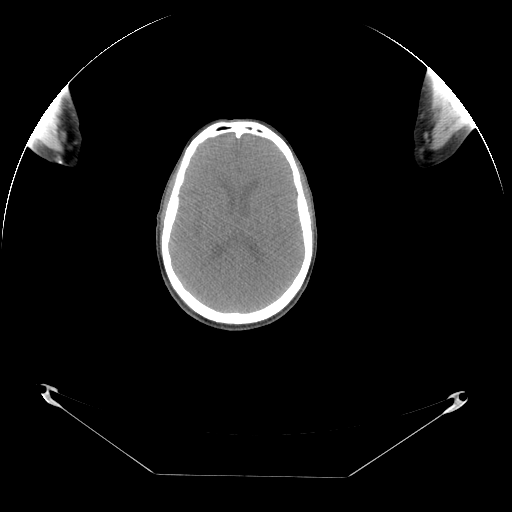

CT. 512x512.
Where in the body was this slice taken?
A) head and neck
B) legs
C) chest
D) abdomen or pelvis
Answer: A) head and neck
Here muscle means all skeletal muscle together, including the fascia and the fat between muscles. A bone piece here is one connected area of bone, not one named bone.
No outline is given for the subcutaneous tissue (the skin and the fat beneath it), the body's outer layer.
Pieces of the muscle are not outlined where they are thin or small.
{"bones":[{"outer":[[220,120],[253,120],[265,125],[285,141],[295,158],[311,219],[312,257],[301,287],[289,303],[280,311],[264,320],[253,323],[227,324],[216,322],[192,310],[172,287],[164,268],[160,249],[160,236],[163,229],[165,210],[184,150],[199,132],[210,124]],"hole":[[228,133],[233,133],[237,139],[244,134],[250,134],[269,140],[283,155],[289,166],[296,193],[296,211],[303,247],[299,268],[290,283],[275,299],[250,311],[222,311],[198,299],[177,274],[169,246],[180,205],[181,188],[192,157],[198,147],[206,140]]},[[450,90],[451,90],[455,94],[455,95],[459,99],[459,100],[461,102],[461,103],[464,106],[464,107],[465,108],[459,108],[458,107],[457,107],[456,106],[455,106],[455,105],[451,101],[451,100],[450,99]]],"brain":[[[228,133],[233,133],[237,139],[244,134],[250,134],[269,140],[283,155],[289,166],[296,193],[296,211],[303,247],[299,268],[290,283],[275,299],[250,311],[222,311],[198,299],[177,274],[169,246],[180,205],[181,188],[192,157],[198,147],[206,140]]],"right_arm":[[[64,86],[67,86],[67,89],[71,94],[74,101],[80,120],[80,131],[82,135],[82,145],[81,146],[80,155],[78,163],[74,167],[69,167],[61,164],[49,162],[47,160],[38,156],[27,145],[28,140],[41,116],[54,98],[63,90],[62,88]]],"muscle":[[[434,72],[451,89],[449,90],[449,99],[454,106],[459,109],[466,109],[472,119],[466,122],[454,132],[451,139],[442,148],[435,151],[432,151],[431,150],[427,150],[426,149],[426,145],[427,144],[428,134],[429,133],[430,114],[432,108]],[[60,92],[61,95],[61,108],[62,109],[63,126],[64,127],[64,136],[62,142],[62,149],[54,149],[53,148],[50,148],[45,145],[43,145],[38,141],[36,137],[32,136],[31,134],[37,123],[39,121],[41,116],[44,113],[54,98]],[[297,162],[303,174],[303,176],[310,195],[310,199],[311,200],[312,213],[313,214],[313,220],[314,221],[314,229],[313,230],[313,251],[313,228],[312,227],[311,213],[309,210],[308,202],[304,193],[304,188],[301,180],[301,173],[297,164]],[[177,166],[177,168],[175,172],[175,175],[174,176],[173,184],[164,210],[164,216],[162,219],[162,229],[161,230],[160,235],[159,222],[160,221],[161,211],[163,207],[163,201],[165,197],[165,193],[168,187],[169,182]]],"left_arm":[[[428,70],[433,71],[451,89],[471,116],[477,129],[474,128],[469,133],[459,148],[448,159],[436,165],[428,167],[420,167],[416,164],[412,154],[414,145],[412,136],[417,114],[417,106],[418,105],[418,98],[419,97],[420,88],[423,80],[423,77]]],"head":[[[219,117],[259,118],[279,130],[288,140],[303,166],[315,207],[318,233],[317,254],[307,287],[296,304],[285,315],[270,324],[249,330],[229,331],[214,328],[199,322],[184,312],[171,297],[163,282],[155,250],[156,214],[167,179],[190,136],[206,122]]]}